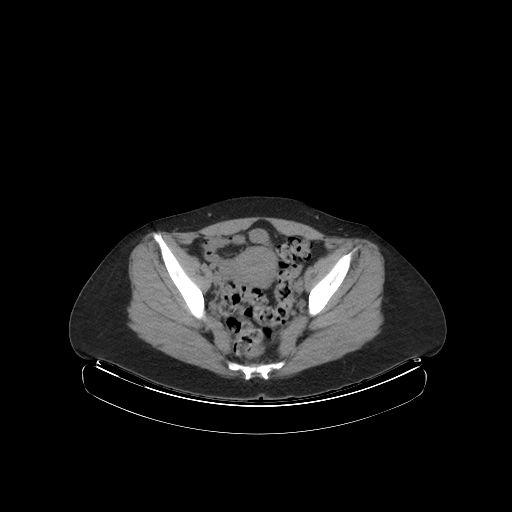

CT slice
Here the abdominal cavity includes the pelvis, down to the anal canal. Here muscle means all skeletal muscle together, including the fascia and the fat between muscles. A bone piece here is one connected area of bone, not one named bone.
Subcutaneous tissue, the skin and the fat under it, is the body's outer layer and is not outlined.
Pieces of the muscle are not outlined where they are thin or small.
torso: (242, 195) (295, 198) (374, 230) (419, 271) (437, 295) (447, 325) (441, 349) (432, 356) (419, 361) (411, 359) (336, 391) (300, 399) (264, 401) (260, 398) (247, 402) (218, 401) (180, 393) (107, 362) (78, 356) (68, 337) (71, 309) (89, 276) (126, 234) (152, 220)
bones 1: (155, 232) (158, 232) (161, 234) (162, 238) (175, 256) (176, 259) (182, 267) (183, 270) (201, 290) (204, 298) (204, 306) (205, 307) (205, 316) (203, 319) (198, 319) (191, 313) (183, 297) (172, 281) (162, 259) (162, 256) (161, 255) (159, 245) (153, 237) (153, 234)
bones 2: (355, 247) (357, 247) (357, 248) (356, 250) (353, 252) (351, 256) (351, 260) (350, 261) (349, 268) (342, 282) (335, 292) (331, 296) (325, 306) (317, 314) (311, 316) (308, 313) (308, 296) (310, 290) (312, 287) (332, 268) (334, 264) (341, 256) (348, 253)
bones 3: (281, 360) (285, 362) (284, 364) (280, 368) (272, 369) (268, 373) (267, 379) (264, 379) (258, 373) (253, 373) (250, 378) (245, 378) (245, 375) (241, 370) (239, 369) (232, 370) (228, 367) (227, 363) (228, 361) (234, 361) (240, 364) (253, 363) (257, 364) (270, 363)
abdominal cavity: (260, 220) (268, 222) (281, 234) (323, 241) (327, 253) (308, 266) (303, 274) (304, 287) (308, 292) (307, 309) (281, 332) (276, 349) (277, 359) (240, 363) (230, 357) (232, 341) (222, 324) (206, 310) (204, 295) (212, 282) (210, 268) (189, 247) (201, 235) (230, 236)
muscle: (250, 215) (289, 217) (326, 232) (341, 236) (361, 236) (375, 243) (384, 258) (382, 331) (359, 349) (340, 358) (289, 377) (263, 382) (246, 382) (223, 377) (176, 359) (135, 335) (125, 321) (130, 299) (128, 262) (131, 251) (142, 237) (157, 228) (181, 232) (214, 221), around a hole outlined by (260, 220) (281, 234) (323, 241) (327, 253) (303, 274) (307, 292) (341, 256) (357, 247) (347, 273) (325, 306) (313, 316) (306, 308) (281, 332) (275, 361) (285, 362) (280, 368) (272, 369) (267, 379) (258, 373) (245, 378) (241, 370) (228, 367) (228, 361) (234, 360) (230, 357) (231, 339) (211, 313) (206, 310) (203, 319) (191, 313) (153, 237) (155, 232) (161, 234) (204, 295) (211, 285) (212, 274) (189, 250) (190, 244) (201, 235) (230, 236)